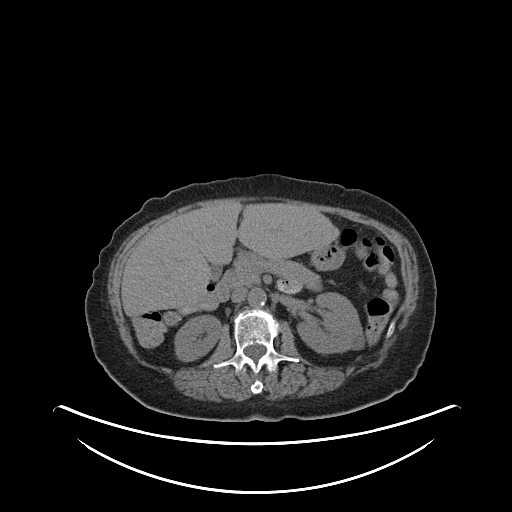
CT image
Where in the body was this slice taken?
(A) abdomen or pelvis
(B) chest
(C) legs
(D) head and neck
Answer: (A) abdomen or pelvis
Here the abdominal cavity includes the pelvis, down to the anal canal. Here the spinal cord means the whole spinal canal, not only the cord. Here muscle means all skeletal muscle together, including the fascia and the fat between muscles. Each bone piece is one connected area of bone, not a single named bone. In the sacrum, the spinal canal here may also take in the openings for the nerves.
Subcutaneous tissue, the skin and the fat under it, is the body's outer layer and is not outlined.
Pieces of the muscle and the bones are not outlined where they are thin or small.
{"spinal_cord":[[[255,344],[258,344],[259,345],[262,345],[265,347],[265,352],[256,361],[255,360],[254,360],[252,358],[251,358],[249,356],[248,356],[247,355],[246,355],[244,352],[244,349],[246,347],[247,347],[250,345],[254,345]]],"abdominal_cavity":[[[261,199],[336,213],[377,229],[395,246],[404,295],[383,343],[344,365],[317,365],[299,353],[286,320],[253,308],[234,317],[232,335],[229,325],[224,325],[214,351],[197,365],[176,368],[143,357],[122,307],[120,286],[126,259],[153,227],[189,208]]],"bones":[{"outer":[[253,309],[267,311],[278,321],[280,331],[273,340],[275,350],[280,354],[296,357],[299,361],[281,360],[275,372],[268,371],[264,365],[257,374],[247,365],[244,366],[245,370],[238,374],[231,364],[213,367],[214,364],[234,355],[234,319],[240,312]],"hole":[[255,344],[258,344],[259,345],[262,345],[265,347],[265,352],[256,361],[255,360],[254,360],[252,358],[251,358],[249,356],[248,356],[247,355],[246,355],[244,352],[244,349],[246,347],[247,347],[250,345],[254,345]]},[[256,379],[258,379],[259,380],[260,380],[262,382],[262,384],[263,385],[263,386],[262,387],[262,390],[261,391],[261,392],[260,393],[258,393],[257,394],[254,394],[252,392],[252,391],[251,390],[251,385],[255,381],[255,380]]],"muscle":[{"outer":[[239,196],[277,196],[353,210],[376,219],[394,228],[399,231],[409,241],[416,256],[419,275],[418,298],[416,302],[417,304],[413,314],[409,319],[407,326],[399,333],[399,336],[393,346],[389,350],[387,357],[378,367],[371,368],[354,376],[348,377],[339,387],[331,391],[302,398],[283,399],[282,400],[270,400],[258,394],[262,392],[264,385],[260,379],[256,378],[250,385],[250,390],[254,395],[251,397],[242,401],[215,402],[199,400],[182,394],[175,388],[172,380],[167,375],[142,365],[128,351],[119,336],[118,328],[112,315],[107,292],[108,274],[111,261],[122,242],[132,232],[143,224],[162,215],[167,214],[179,207],[207,199],[238,197]],"hole":[[261,199],[336,213],[385,235],[404,286],[392,334],[349,363],[317,365],[280,319],[273,346],[299,361],[257,374],[247,365],[238,374],[231,364],[213,367],[236,351],[226,323],[197,365],[143,357],[122,307],[126,259],[153,227],[189,208]]}],"torso":[[[266,172],[366,190],[393,204],[412,222],[430,258],[437,289],[431,341],[416,377],[402,391],[386,400],[350,413],[320,419],[210,421],[170,415],[142,405],[108,376],[91,348],[84,300],[100,250],[109,242],[115,228],[151,197],[162,196],[193,182]]]}